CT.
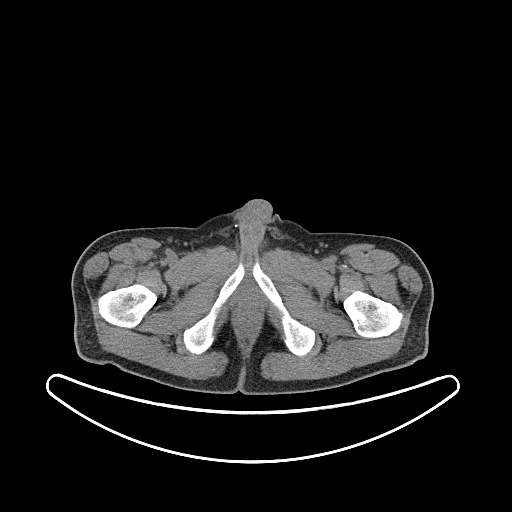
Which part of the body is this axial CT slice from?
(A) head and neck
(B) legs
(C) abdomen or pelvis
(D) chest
Answer: (C) abdomen or pelvis
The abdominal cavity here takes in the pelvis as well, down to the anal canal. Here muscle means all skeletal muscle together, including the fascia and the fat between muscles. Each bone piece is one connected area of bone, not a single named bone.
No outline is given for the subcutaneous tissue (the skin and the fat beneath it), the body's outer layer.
{"abdominal_cavity":[[[246,284],[251,284],[260,294],[263,301],[262,303],[262,314],[261,315],[260,323],[253,337],[250,340],[249,344],[245,341],[243,342],[240,333],[237,329],[237,326],[234,320],[233,313],[232,312],[234,300],[236,297],[236,295],[240,289]]],"muscle":[{"outer":[[134,237],[162,241],[182,255],[216,245],[253,256],[280,247],[317,260],[353,243],[383,245],[417,271],[422,289],[396,355],[320,379],[270,380],[260,374],[263,357],[286,348],[305,356],[316,333],[290,314],[256,260],[251,274],[280,315],[282,340],[267,315],[246,357],[229,320],[215,340],[219,313],[246,272],[240,261],[208,312],[182,332],[192,354],[211,346],[225,353],[226,369],[189,379],[98,342],[84,264]],"holes":[[[355,290],[360,290],[366,292],[371,295],[373,295],[378,298],[380,298],[393,304],[403,315],[399,327],[389,335],[386,335],[385,336],[381,336],[375,338],[367,338],[366,337],[360,336],[356,332],[352,323],[352,321],[343,308],[343,300],[348,295]],[[135,283],[142,284],[154,292],[157,296],[157,300],[156,302],[144,315],[141,321],[136,326],[132,328],[128,328],[127,327],[122,327],[121,326],[114,325],[106,321],[99,313],[99,311],[98,310],[98,304],[97,303],[98,298],[110,290],[129,286]],[[246,284],[251,284],[260,294],[263,301],[262,303],[262,314],[261,315],[260,323],[253,337],[250,340],[249,344],[245,341],[243,342],[240,333],[237,329],[237,326],[234,320],[233,313],[232,312],[234,300],[236,297],[236,295],[240,289]]]}],"torso":[[[254,198],[269,201],[281,218],[313,232],[383,235],[409,245],[425,264],[433,284],[428,349],[423,358],[339,387],[247,395],[239,391],[219,394],[179,389],[111,364],[96,364],[79,357],[73,335],[71,279],[80,254],[94,239],[125,228],[193,227]]],"bones":[[[355,290],[360,290],[366,292],[371,295],[373,295],[378,298],[380,298],[393,304],[403,315],[399,327],[389,335],[386,335],[385,336],[381,336],[375,338],[367,338],[366,337],[360,336],[356,332],[352,323],[352,321],[343,308],[343,300],[348,295]],[[135,283],[142,284],[154,292],[157,296],[157,300],[156,302],[144,315],[141,321],[136,326],[132,328],[128,328],[127,327],[122,327],[121,326],[114,325],[106,321],[99,313],[99,311],[98,310],[98,304],[97,303],[98,298],[110,290],[129,286]],[[256,261],[259,263],[261,269],[271,279],[289,314],[293,318],[310,327],[314,331],[315,333],[314,344],[311,349],[305,355],[298,356],[292,353],[284,344],[283,342],[284,334],[280,320],[281,315],[279,311],[263,293],[252,274],[252,267]],[[240,262],[243,264],[245,272],[243,278],[234,291],[222,305],[218,313],[214,324],[214,332],[213,333],[214,341],[213,343],[205,351],[200,354],[195,354],[190,352],[186,348],[183,341],[184,330],[193,325],[209,312],[218,296],[221,287]]]}